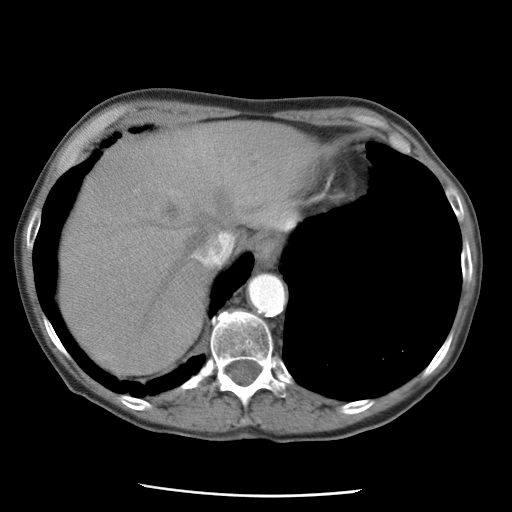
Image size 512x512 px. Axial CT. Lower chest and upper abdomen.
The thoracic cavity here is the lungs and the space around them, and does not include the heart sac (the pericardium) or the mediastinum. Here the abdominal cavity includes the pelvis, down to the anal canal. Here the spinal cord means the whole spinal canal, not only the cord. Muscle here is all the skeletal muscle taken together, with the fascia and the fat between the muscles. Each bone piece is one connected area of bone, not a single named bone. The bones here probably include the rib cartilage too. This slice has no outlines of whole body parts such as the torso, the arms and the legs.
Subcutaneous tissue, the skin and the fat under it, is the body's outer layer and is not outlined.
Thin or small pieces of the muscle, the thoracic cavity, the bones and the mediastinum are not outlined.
Outlines (x, y in pixels):
mediastinum 1: 255 260; 258 264; 261 264; 262 266; 278 266; 278 270; 282 275; 283 280; 288 288; 288 300; 285 309; 282 330; 281 357; 278 354; 274 353; 274 341; 268 324; 257 314; 239 307; 224 309; 218 313; 218 311; 225 303; 248 279
mediastinum 2: 373 137; 383 141; 368 140; 366 141; 364 144; 365 155; 367 159; 375 166; 375 172; 366 193; 356 198; 354 200; 355 198; 355 180; 354 179; 354 173; 351 165; 339 149; 351 142; 353 142; 357 140; 360 140; 361 139; 369 139
spinal cord: 239 360; 249 360; 250 361; 254 361; 260 366; 260 368; 261 369; 260 370; 260 372; 257 375; 257 376; 249 384; 245 385; 244 386; 243 385; 240 385; 235 382; 227 374; 226 372; 226 367; 229 364; 234 361; 238 361
abdominal cavity: 239 115; 357 126; 387 142; 373 136; 351 141; 296 176; 293 197; 303 221; 278 265; 262 265; 247 252; 216 278; 205 352; 145 383; 120 380; 76 343; 53 296; 60 230; 99 155; 96 151; 80 161; 82 152; 107 127; 128 117 with a hole at 115 133; 117 133; 118 134; 118 136; 117 137; 116 137; 113 140; 113 141; 112 141; 109 144; 108 144; 107 145; 103 145; 102 144; 102 143; 104 141; 105 141; 106 140; 108 140; 109 139; 111 139; 113 137; 113 136; 115 134
pericardium: 339 150; 350 165; 353 173; 353 179; 354 180; 354 198; 353 200; 341 206; 334 207; 324 213; 320 213; 313 216; 304 217; 304 215; 299 212; 297 205; 295 202; 295 198; 294 197; 295 179; 297 176; 308 167; 326 161; 334 156
muscle: 136 98; 175 99; 185 102; 222 106; 236 110; 252 111; 253 112; 276 112; 282 110; 303 110; 304 109; 305 110; 306 109; 320 109; 321 108; 342 107; 343 106; 360 106; 377 112; 389 120; 401 126; 409 132; 420 143; 427 153; 440 166; 460 191; 468 208; 474 230; 474 237; 477 250; 477 267; 476 268; 475 289; 457 343; 449 360; 445 366; 413 394; 399 403; 383 411; 381 411; 375 415; 367 417; 363 420; 358 421; 341 428; 333 429; 328 431; 319 431; 310 433; 276 434; 269 431; 263 430; 257 426; 252 426; 251 425; 244 427; 239 427; 236 429; 233 429; 225 432; 213 432; 212 433; 182 429; 178 427; 155 423; 139 418; 102 398; 80 383; 58 361; 46 344; 40 329; 38 327; 38 324; 32 311; 32 307; 30 304; 28 295; 25 288; 24 277; 21 265; 21 236; 23 227; 28 217; 29 212; 35 200; 35 198; 42 185; 46 173; 52 161; 66 141; 83 123; 102 109; 119 101; 123 100; 128 101; inner edges: 124 104; 129 109; 116 122; 248 115; 357 126; 387 141; 390 132; 400 134; 409 155; 458 194; 464 213; 458 226; 471 255; 471 280; 461 285; 451 342; 435 369; 352 414; 339 410; 346 401; 296 381; 285 386; 284 397; 260 388; 244 407; 231 391; 217 387; 209 395; 204 387; 214 375; 193 388; 146 396; 151 407; 137 410; 69 360; 44 325; 27 228; 58 179; 68 145; 95 118, then 359 114; 362 114; 363 115; 367 115; 368 116; 375 117; 385 122; 388 125; 388 128; 387 129; 383 129; 379 127; 375 127; 374 126; 372 126; 371 125; 368 125; 367 124; 360 124; 355 120; 354 120; 352 117; 353 115; 358 115
bones 1: 238 308; 257 315; 267 324; 273 353; 281 358; 294 380; 285 386; 285 396; 277 397; 260 388; 244 407; 231 391; 220 391; 217 387; 209 395; 204 387; 215 379; 214 375; 196 387; 175 389; 195 375; 210 356; 212 318; 224 310; inner edge: 239 360; 249 360; 250 361; 254 361; 260 366; 260 368; 261 369; 260 370; 260 372; 257 375; 257 376; 249 384; 245 385; 244 386; 243 385; 240 385; 235 382; 227 374; 226 372; 226 367; 229 364; 234 361; 238 361
bones 2: 124 104; 129 104; 129 109; 118 119; 107 126; 101 132; 96 135; 82 150; 79 157; 79 161; 76 164; 70 167; 58 177; 56 171; 57 163; 68 145; 74 138; 75 138; 76 136; 95 118; 113 108; 115 108; 120 105; 123 105
bones 3: 451 329; 452 329; 453 331; 453 335; 452 336; 451 342; 449 345; 449 347; 443 359; 430 374; 425 377; 423 377; 422 376; 422 371; 427 366; 427 365; 430 362; 436 352; 439 349
bones 4: 462 238; 465 238; 467 240; 467 241; 469 244; 469 249; 470 250; 470 254; 471 255; 471 262; 472 263; 472 276; 471 277; 471 280; 469 282; 468 282; 467 283; 463 283; 463 278; 462 277; 462 268; 461 267; 461 250; 462 249
bones 5: 37 208; 40 208; 41 209; 40 223; 39 224; 39 227; 38 228; 36 236; 33 242; 33 247; 32 248; 32 250; 31 251; 29 251; 27 249; 27 247; 26 246; 27 228; 28 227; 28 224; 29 223; 30 218; 33 212
bones 6: 368 398; 374 398; 375 399; 374 403; 368 408; 360 412; 358 412; 357 413; 353 413; 352 414; 346 414; 345 413; 341 412; 339 410; 339 407; 341 405; 347 402; 351 402; 352 401; 356 401; 357 400; 361 400; 362 399; 367 399
bones 7: 448 186; 450 186; 456 191; 456 192; 459 196; 459 198; 460 199; 460 201; 461 202; 461 204; 463 208; 463 212; 464 213; 463 215; 463 219; 459 222; 457 219; 457 217; 450 203; 448 201; 446 197; 446 195; 444 191; 444 189
bones 8: 43 313; 44 313; 44 314; 47 317; 47 318; 51 323; 53 327; 53 329; 56 333; 61 343; 74 361; 71 361; 69 360; 55 346; 55 345; 51 340; 46 330; 46 328; 44 325; 44 322; 43 321; 43 318; 42 317; 42 314
bones 9: 120 394; 128 394; 132 397; 134 397; 135 398; 140 398; 141 399; 144 399; 151 404; 151 407; 150 408; 147 408; 143 410; 137 410; 136 409; 133 409; 132 408; 130 408; 126 406; 124 404; 123 404; 119 400; 118 398; 118 396
bones 10: 390 132; 397 132; 399 134; 400 134; 409 143; 409 144; 411 147; 411 151; 409 154; 406 154; 405 153; 403 153; 402 152; 401 152; 400 151; 399 151; 397 149; 396 149; 395 148; 394 148; 389 143; 389 142; 388 141; 388 135
bones 11: 359 114; 362 114; 363 115; 367 115; 368 116; 375 117; 385 122; 388 125; 388 128; 387 129; 383 129; 379 127; 375 127; 374 126; 372 126; 371 125; 368 125; 367 124; 360 124; 355 120; 354 120; 352 117; 353 115; 358 115
thoracic cavity 1: 368 141; 384 142; 399 152; 415 158; 439 181; 461 234; 462 284; 451 327; 429 362; 419 373; 383 395; 344 401; 299 384; 282 359; 289 288; 278 267; 292 234; 306 218; 324 214; 367 193; 376 172; 376 166; 366 155; 365 144
thoracic cavity 2: 96 152; 97 158; 83 176; 59 230; 52 296; 59 315; 75 343; 94 364; 120 381; 145 384; 173 371; 190 357; 207 353; 205 362; 195 374; 172 389; 144 398; 113 391; 80 367; 43 311; 35 287; 32 251; 45 200; 59 177
thoracic cavity 3: 247 253; 251 254; 254 260; 249 276; 244 283; 243 283; 240 287; 233 293; 217 311; 217 313; 212 317; 210 317; 209 316; 209 308; 210 307; 210 302; 211 301; 212 289; 214 286; 215 281; 220 275; 227 271; 238 259; 244 254